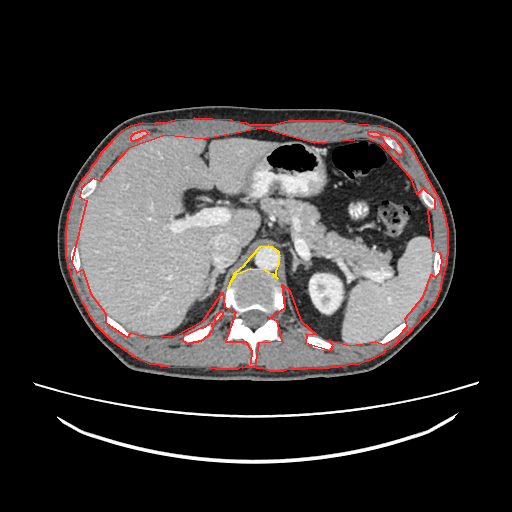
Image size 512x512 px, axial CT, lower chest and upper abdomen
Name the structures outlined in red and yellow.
red: muscle; yellow: mediastinum.
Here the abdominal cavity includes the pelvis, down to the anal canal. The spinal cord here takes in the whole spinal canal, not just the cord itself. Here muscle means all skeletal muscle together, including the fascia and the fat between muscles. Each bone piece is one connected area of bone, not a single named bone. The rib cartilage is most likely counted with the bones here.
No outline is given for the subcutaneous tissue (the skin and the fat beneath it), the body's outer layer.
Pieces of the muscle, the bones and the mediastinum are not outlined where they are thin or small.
Outlined structures:
muscle: 269,370 283,370 289,368 305,368 306,367 307,368 308,367 329,367 330,366 338,366 339,365 343,366 348,364 359,363 365,360 368,360 384,352 386,349 391,347 409,332 432,306 436,300 441,288 442,279 447,263 447,255 448,254 448,228 447,227 446,218 440,200 426,176 426,174 414,152 406,141 399,134 390,129 380,126 345,123 342,121 288,121 272,125 250,125 246,123 232,121 231,120 194,118 193,119 175,120 164,123 155,123 154,124 142,123 130,126 121,131 101,152 95,162 91,166 87,173 79,183 73,195 69,211 67,214 66,228 65,229 65,256 66,257 67,267 70,271 70,275 76,291 81,301 85,306 85,308 89,315 96,325 109,338 132,355 149,363 159,364 160,365 167,365 168,366 209,367 210,368 213,367 215,368 237,368 241,366 242,367 245,366 255,366 256,367 263,367; inner edges: 250,363 256,362 259,342 282,340 277,321 269,318 285,307 282,284 289,290 300,320 316,334 306,335 305,342 330,350 333,345 329,340 350,345 375,341 384,344 398,336 407,326 405,318 423,296 431,274 435,277 440,272 442,260 440,253 433,251 428,210 435,208 435,199 423,188 417,194 411,178 382,145 367,139 314,143 261,128 203,139 165,135 128,148 99,181 92,178 81,188 79,196 86,200 71,262 76,272 82,269 90,293 105,313 105,322 127,337 131,332 146,337 175,335 203,320 222,292 224,306 235,312 225,341 245,341 251,350, then 187,343 189,343 190,342 193,342 194,341 198,341 199,340 201,340 203,339 206,336 207,336 213,329 212,324 210,323 202,328 200,328 188,334 183,335 182,337 182,340, then 398,154 402,154 402,153 403,152 403,150 402,149 401,146 395,139 392,138 390,136 387,136 386,135 381,135 377,132 367,132 367,133 369,135 371,135 372,136 380,136 382,138 383,141 390,148 393,149, then 131,140 135,140 136,139 138,139 139,138 140,138 141,137 142,137 144,135 145,135 148,133 145,131 140,131 139,132 137,132 136,133 134,133 133,134 132,134 132,135 130,137 130,139, then 214,321 217,321 220,318 220,317 223,314 223,313 222,312 219,312 217,314 216,314 216,315 215,316 215,317 214,318
mediastinum: 228,288 231,281 237,273 250,268 264,269 268,272 272,273 277,278 276,276 276,271 279,263 279,257 280,256 279,255 279,252 272,247 269,247 268,246 259,247 244,264 244,265 233,274 229,283
spinal cord: 253,330 254,330 257,327 258,327 260,325 261,325 268,318 269,318 269,315 267,315 258,310 252,310 251,311 248,311 247,312 242,314 240,316 241,317 241,318 242,318 244,320 244,323 247,326 248,326
bones 1: 250,363 256,362 255,350 259,342 275,340 280,343 282,340 275,319 268,319 253,331 239,316 252,309 271,314 285,307 280,282 272,274 258,269 237,274 224,300 224,306 235,312 225,341 245,341 251,350
bones 2: 187,343 189,343 190,342 193,342 194,341 198,341 199,340 201,340 203,339 206,336 207,336 213,329 212,324 210,323 202,328 200,328 188,334 183,335 182,337 182,340
bones 3: 322,350 330,350 333,347 333,345 331,342 329,342 323,339 321,337 319,337 315,335 313,336 312,335 306,335 304,337 304,340 307,344 310,345 314,348 317,348 318,349 321,349
bones 4: 398,154 402,154 402,153 403,152 403,150 402,149 401,146 395,139 392,138 390,136 387,136 386,135 381,135 377,132 367,132 367,133 369,135 371,135 372,136 380,136 382,138 383,141 390,148 393,149
bones 5: 82,199 85,199 90,194 91,194 93,192 93,191 95,189 95,188 97,185 97,182 98,181 98,180 96,178 92,178 90,180 89,180 81,188 81,189 79,192 79,196 80,197 80,198 81,198
bones 6: 379,344 384,344 392,340 394,338 398,336 405,329 405,328 407,326 407,323 406,322 403,322 401,324 400,324 396,328 392,330 391,332 390,332 381,340 380,340 378,342
bones 7: 429,209 433,209 434,208 435,208 435,207 436,206 436,202 435,201 435,199 433,197 433,196 428,191 427,191 423,188 421,190 421,191 420,192 420,194 419,195 420,196 420,198 423,202 423,203
bones 8: 127,337 128,337 130,335 130,334 127,331 126,331 119,324 118,324 115,321 114,321 108,316 106,316 105,315 104,316 104,320 105,321 105,322 112,329 113,329 118,333 119,333 124,336 126,336
bones 9: 78,273 80,271 80,260 79,259 79,253 78,252 78,249 77,248 77,246 73,246 73,247 72,248 72,249 71,250 71,262 72,263 72,266 73,267 73,269 76,272 77,272
bones 10: 435,277 436,276 437,276 438,275 438,274 440,272 440,271 441,270 441,266 442,265 442,260 441,259 441,255 440,254 440,253 438,251 436,251 435,252 435,253 434,254 434,261 433,262 433,275
abdominal cavity: 350,345 378,341 404,321 432,273 429,211 382,145 314,143 261,128 203,139 148,138 117,157 84,202 78,248 86,285 105,314 130,333 167,337 197,324 232,274 268,245 280,252 277,276 300,320 317,335
torso: 251,381 332,378 368,372 405,346 443,303 455,267 453,214 440,183 418,145 397,123 367,112 332,108 194,106 147,112 128,118 114,127 94,148 72,180 57,223 58,264 76,308 97,339 134,371 189,379